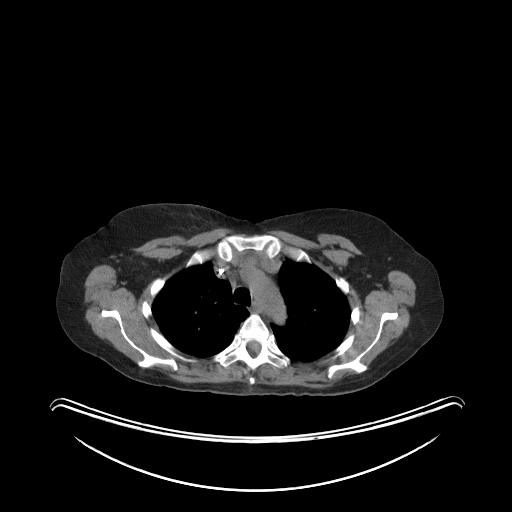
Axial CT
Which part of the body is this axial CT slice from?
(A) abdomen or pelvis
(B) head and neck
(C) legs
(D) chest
Answer: (D) chest
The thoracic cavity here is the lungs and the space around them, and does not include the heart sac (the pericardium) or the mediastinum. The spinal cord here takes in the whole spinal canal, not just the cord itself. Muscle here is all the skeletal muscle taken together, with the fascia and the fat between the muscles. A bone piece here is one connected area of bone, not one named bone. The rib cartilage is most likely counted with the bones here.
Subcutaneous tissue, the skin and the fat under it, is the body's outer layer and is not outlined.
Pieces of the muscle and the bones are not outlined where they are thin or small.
The thoracic cavity appears in 2 outlined pieces: piece 1: 208,260 211,262 214,274 218,278 226,280 229,283 233,303 236,305 243,306 249,314 241,322 231,341 223,349 209,357 198,357 182,352 165,337 160,331 153,317 152,302 168,279 184,268 201,265; piece 2: 288,258 292,259 295,262 314,264 325,272 333,279 336,286 346,296 350,307 349,324 344,338 333,350 317,359 310,361 291,359 279,348 275,336 271,330 271,324 284,326 288,317 287,306 279,284 280,268. The spinal cord is outlined by 253,340 254,341 256,341 258,343 259,343 259,344 260,345 260,350 258,352 258,353 256,355 255,355 254,356 253,356 252,355 251,355 249,353 249,352 248,351 248,350 247,349 247,344 250,341 252,341. The mediastinum is outlined by 250,252 264,254 270,259 281,253 289,257 281,264 278,271 279,289 287,314 284,325 271,323 270,329 258,313 250,313 243,305 234,303 230,283 218,277 214,272 212,262 209,260 212,257 229,262 234,257. The bones appear in 9 outlined pieces: piece 1: 252,313 256,313 260,316 272,332 278,348 290,359 290,363 287,366 279,368 265,362 259,365 254,370 251,370 241,360 237,360 227,367 224,367 218,362 214,362 211,360 211,356 223,350 232,341 242,322; inner edge: 253,340 254,341 256,341 258,343 259,343 259,344 260,345 260,350 258,352 258,353 256,355 255,355 254,356 253,356 252,355 251,355 249,353 249,352 248,351 248,350 247,349 247,344 250,341 252,341; piece 2: 233,234 273,235 277,237 284,245 299,248 306,252 312,263 295,261 284,252 270,258 262,251 248,249 241,252 234,250 233,257 229,261 213,255 201,264 185,267 186,262 196,250 206,248 213,249 221,239; piece 3: 102,309 117,310 128,337 150,355 161,358 173,356 154,340 149,332 152,327 183,355 192,356 196,361 188,362 174,356 176,370 168,364 146,368 138,366 137,361 143,358 142,354 124,338 115,318 101,315; piece 4: 383,312 397,312 397,317 395,319 388,319 383,323 378,340 361,357 360,361 367,366 367,369 360,373 357,373 350,368 339,369 334,372 331,378 329,378 327,376 327,369 329,366 352,360 371,343 376,335; piece 5: 350,334 354,334 354,339 353,340 353,342 351,346 344,353 343,355 343,357 340,357 339,356 338,357 333,358 332,357 334,354 333,352 334,349 336,348 341,343 341,342 348,335; piece 6: 164,276 166,276 167,278 166,279 166,281 164,283 162,288 157,293 157,294 155,296 155,297 152,301 151,299 151,295 150,294 150,287 151,286 151,284 152,282 156,278 158,277 163,277; piece 7: 334,275 338,275 339,276 342,276 348,282 348,283 349,284 349,291 348,292 348,293 347,294 345,294 337,286 337,285 336,284 336,283 335,282 335,281 334,280 334,279 333,278 334,277; piece 8: 145,300 146,301 147,301 150,304 151,304 151,312 152,313 152,316 151,316 150,317 149,317 147,319 146,318 145,318 145,317 143,315 143,314 142,313 142,311 141,310 141,306 142,305 142,302; piece 9: 354,306 358,306 359,307 359,309 360,310 360,314 359,315 359,321 358,322 357,322 355,324 352,324 350,322 350,316 351,315 351,309. The torso is outlined by 159,202 199,204 252,222 325,207 372,214 385,221 436,268 444,299 441,323 434,335 401,366 367,388 342,395 236,396 181,391 130,379 78,348 66,335 55,304 59,273 63,258 73,246 113,215 128,207. The muscle appears in 4 outlined pieces: piece 1: 392,270 405,272 416,286 408,326 372,361 366,371 368,366 361,361 362,357 379,340 384,323 398,317 397,311 383,311 370,343 352,359 333,363 326,369 329,379 335,372 344,369 356,374 345,376 329,387 254,384 256,380 253,375 248,378 250,384 184,383 158,369 147,368 168,365 176,371 178,364 174,357 188,363 196,362 195,357 209,358 224,368 241,361 251,371 265,363 282,369 291,360 310,362 332,351 333,359 343,358 355,339 354,333 345,337 349,325 358,323 361,314 358,305 351,308 349,304 346,295 350,291 349,282 363,298; piece 2: 100,264 111,265 116,271 117,284 125,287 137,298 155,278 149,287 151,303 145,299 143,300 140,310 145,319 152,317 155,321 159,330 150,326 148,332 153,340 171,357 150,354 137,345 127,334 120,312 115,308 102,308 100,315 104,318 111,317 115,319 123,338 141,354 142,358 136,361 137,366 93,332 90,324 85,319 84,283 89,272; piece 3: 219,227 230,228 240,233 253,234 229,234 221,238 213,248 206,247 196,249 189,256 184,267 169,278 166,275 156,277 162,271 163,266 155,259 145,257 131,250 154,238 172,235 190,237 202,231; piece 4: 269,230 283,230 311,240 315,240 319,233 341,235 348,238 362,252 362,254 355,255 348,259 343,270 343,274 347,280 342,275 338,274 334,274 332,277 313,263 310,255 303,249 284,244 273,234 262,233.